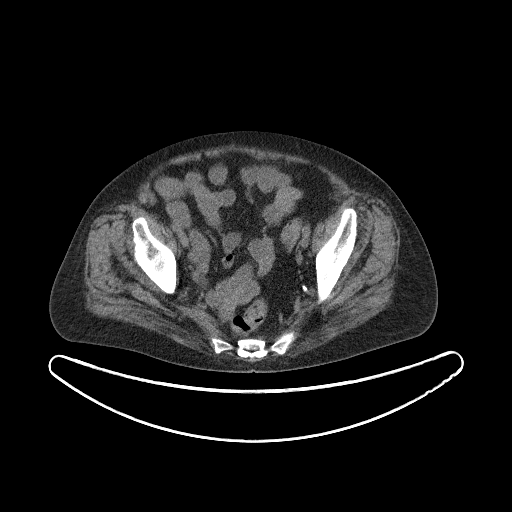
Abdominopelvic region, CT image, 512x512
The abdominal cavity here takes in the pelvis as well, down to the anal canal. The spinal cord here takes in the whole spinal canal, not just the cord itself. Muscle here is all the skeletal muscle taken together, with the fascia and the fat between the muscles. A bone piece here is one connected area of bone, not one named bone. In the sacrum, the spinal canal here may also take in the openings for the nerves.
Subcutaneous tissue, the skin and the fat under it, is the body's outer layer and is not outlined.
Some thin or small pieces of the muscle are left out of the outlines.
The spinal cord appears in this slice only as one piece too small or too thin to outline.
{"abdominal_cavity":[[[229,151],[258,159],[283,158],[315,166],[328,178],[335,206],[333,212],[316,224],[311,238],[317,297],[270,343],[257,337],[228,341],[203,314],[176,299],[179,290],[176,258],[180,256],[180,246],[172,230],[151,209],[157,201],[151,181],[164,168]]],"muscle":[{"outer":[[232,143],[241,146],[257,147],[261,149],[267,149],[273,151],[288,153],[292,155],[297,155],[309,159],[314,162],[325,166],[353,186],[355,186],[363,191],[375,195],[383,200],[390,208],[391,213],[400,231],[400,246],[398,253],[398,282],[395,291],[394,300],[383,310],[364,323],[356,327],[354,327],[348,331],[341,333],[326,343],[324,343],[310,350],[300,353],[294,357],[290,357],[285,360],[264,361],[258,363],[239,362],[236,360],[229,360],[208,355],[203,352],[198,351],[195,349],[192,349],[182,344],[180,344],[170,338],[166,337],[164,335],[159,334],[141,326],[134,325],[128,322],[124,322],[120,320],[99,317],[90,312],[85,307],[84,303],[83,289],[81,284],[81,276],[82,275],[81,270],[83,263],[82,257],[85,252],[85,245],[86,244],[87,236],[90,229],[90,226],[94,219],[99,214],[102,212],[104,212],[115,203],[122,201],[128,196],[133,194],[137,190],[140,184],[146,179],[147,176],[153,169],[169,159],[178,155],[182,155],[186,153],[194,152],[202,149],[224,146]],"hole":[[229,151],[311,164],[325,174],[335,209],[313,229],[314,255],[334,233],[343,209],[351,207],[357,214],[353,249],[330,297],[321,303],[316,298],[283,330],[293,331],[296,338],[282,355],[270,351],[261,358],[241,357],[234,349],[216,353],[212,337],[230,340],[203,314],[176,299],[178,273],[176,288],[168,294],[134,260],[132,222],[140,216],[151,233],[180,256],[172,230],[152,212],[157,201],[152,179],[170,165]]}],"torso":[[[237,129],[282,132],[328,145],[356,159],[391,187],[418,227],[436,275],[437,311],[432,324],[425,332],[417,337],[344,360],[271,373],[194,369],[129,350],[69,341],[56,332],[48,310],[51,287],[81,218],[101,189],[134,161],[157,148],[198,134]]],"bones":[[[349,207],[353,208],[357,214],[357,218],[356,219],[357,221],[357,226],[356,227],[357,233],[353,249],[330,293],[331,295],[330,297],[321,303],[317,303],[318,291],[316,287],[315,256],[318,250],[334,233],[339,223],[343,209]],[[140,216],[143,216],[146,219],[146,221],[148,225],[148,228],[151,233],[156,238],[166,244],[174,253],[174,255],[176,259],[176,288],[172,294],[168,294],[164,292],[152,280],[149,278],[149,277],[134,260],[134,242],[133,241],[132,222],[135,218]],[[289,331],[293,331],[296,338],[282,355],[278,354],[275,351],[270,351],[261,358],[241,357],[234,349],[224,350],[220,353],[216,353],[211,341],[212,337],[217,337],[234,344],[239,339],[257,338],[264,340],[267,344],[270,344],[278,336],[284,332]]]}